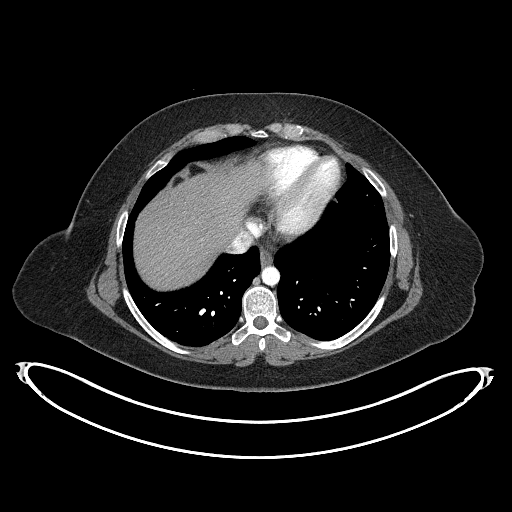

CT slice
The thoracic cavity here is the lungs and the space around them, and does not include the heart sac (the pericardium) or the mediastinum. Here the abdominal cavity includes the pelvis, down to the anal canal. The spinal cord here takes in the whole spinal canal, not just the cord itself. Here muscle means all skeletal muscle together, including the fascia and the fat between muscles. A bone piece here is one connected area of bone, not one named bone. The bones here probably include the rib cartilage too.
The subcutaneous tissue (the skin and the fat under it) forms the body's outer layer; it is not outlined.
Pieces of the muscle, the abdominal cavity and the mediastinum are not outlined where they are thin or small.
The abdominal cavity is outlined by 156 291; 172 291; 189 286; 206 273; 220 254; 241 253; 247 249; 247 240; 253 232; 253 217; 261 205; 255 186; 255 168; 248 153; 250 151; 244 153; 241 150; 218 158; 188 163; 172 176; 138 214; 132 242; 134 264; 144 283. The spinal cord is outlined by 258 328; 262 328; 263 327; 264 327; 267 324; 267 321; 265 319; 265 318; 264 318; 263 317; 262 317; 261 316; 259 316; 258 317; 256 317; 254 319; 254 325; 256 327; 257 327. The muscle is outlined by 235 366; 249 365; 258 358; 270 365; 282 366; 341 352; 407 314; 419 302; 423 292; 415 233; 391 187; 365 159; 348 151; 327 134; 304 125; 308 130; 307 140; 320 141; 358 170; 364 165; 377 174; 388 194; 386 198; 382 198; 388 223; 393 222; 397 228; 398 251; 390 263; 380 294; 387 294; 385 303; 372 324; 356 339; 341 348; 323 350; 308 345; 301 334; 293 330; 295 335; 286 343; 271 334; 266 335; 266 347; 261 351; 256 335; 249 335; 235 346; 230 342; 228 334; 203 347; 186 347; 192 353; 183 355; 169 350; 149 336; 133 318; 123 300; 121 288; 126 286; 126 283; 121 250; 115 244; 116 223; 119 214; 125 208; 130 211; 146 181; 146 171; 166 152; 172 150; 175 153; 195 144; 190 141; 191 137; 205 128; 239 123; 245 128; 245 132; 241 134; 248 135; 248 129; 267 130; 269 124; 261 128; 238 122; 199 127; 156 155; 116 213; 107 251; 85 289; 88 300; 101 312; 158 349; 184 360. The mediastinum appears in 2 outlined pieces: piece 1: 275 293; 276 286; 279 280; 279 272; 273 264; 273 258; 276 252; 281 247; 288 243; 274 243; 265 234; 257 236; 253 233; 248 240; 248 248; 252 245; 258 248; 260 255; 261 270; 258 275; 254 278; 250 286; 264 285; 270 288; piece 2: 334 154; 327 146; 317 141; 306 140; 292 141; 285 140; 276 136; 268 137; 265 139; 253 138; 256 141; 256 144; 253 147; 244 150; 244 152; 247 152; 258 145; 270 141; 298 141; 302 143; 307 143; 318 147; 322 147. The thoracic cavity appears in 2 outlined pieces: piece 1: 319 340; 330 340; 344 334; 366 315; 379 296; 389 265; 388 224; 381 197; 364 176; 347 162; 347 180; 336 193; 337 200; 330 201; 317 223; 306 233; 281 248; 274 258; 274 264; 280 272; 276 295; 282 317; 286 324; 295 331; piece 2: 184 346; 206 345; 235 326; 241 297; 260 270; 258 250; 252 246; 241 254; 222 254; 191 286; 156 292; 143 283; 133 264; 134 221; 188 162; 251 147; 255 141; 247 136; 179 151; 146 182; 129 213; 122 244; 127 287; 148 321. The pericardium is outlined by 274 242; 289 242; 306 232; 319 219; 328 202; 335 198; 334 195; 344 180; 343 166; 335 155; 322 148; 298 142; 270 142; 254 148; 249 153; 256 168; 256 186; 258 187; 258 195; 262 203; 254 217; 254 233; 257 235; 265 233. The bones appear in 9 outlined pieces: piece 1: 261 350; 265 347; 264 336; 268 333; 284 342; 288 341; 294 334; 285 325; 278 311; 275 294; 264 286; 253 286; 249 287; 242 297; 242 313; 236 326; 230 332; 230 339; 233 344; 237 345; 249 334; 256 334; 260 338; 259 348; inner edge: 258 328; 262 328; 263 327; 264 327; 267 324; 267 321; 265 319; 265 318; 264 318; 263 317; 262 317; 261 316; 259 316; 258 317; 256 317; 254 319; 254 325; 256 327; 257 327; piece 2: 323 349; 334 349; 338 347; 341 347; 350 342; 362 333; 371 324; 379 313; 384 303; 386 294; 380 295; 375 304; 367 315; 355 327; 344 335; 336 339; 330 341; 319 341; 318 340; 314 340; 302 334; 305 338; 305 341; 308 344; piece 3: 183 354; 190 354; 191 351; 189 349; 180 346; 175 342; 171 341; 157 331; 143 316; 133 301; 127 288; 124 286; 122 288; 122 293; 123 294; 124 300; 130 312; 143 329; 149 335; 162 345; 167 347; 169 349; piece 4: 292 140; 302 140; 305 139; 307 130; 305 127; 299 124; 272 123; 268 127; 268 130; 267 131; 263 129; 257 129; 256 130; 251 129; 248 130; 248 134; 252 137; 265 138; 268 136; 268 133; 269 132; 273 132; 282 138; 291 139; piece 5: 196 144; 198 143; 209 142; 210 141; 215 141; 216 140; 218 140; 221 138; 223 138; 230 135; 237 135; 244 132; 244 128; 239 124; 226 124; 222 128; 205 129; 200 132; 198 132; 192 137; 191 141; 193 143; 195 143; piece 6: 382 197; 386 197; 387 194; 386 193; 386 190; 385 189; 383 184; 379 179; 379 178; 376 175; 376 174; 373 171; 372 171; 370 169; 369 169; 364 166; 361 167; 361 172; 365 176; 365 177; 371 183; 371 184; 376 189; 376 190; piece 7: 120 249; 121 249; 121 244; 123 239; 123 234; 124 233; 124 230; 125 229; 125 226; 126 225; 126 222; 128 217; 128 211; 126 209; 125 209; 120 214; 118 219; 118 222; 117 223; 117 230; 116 231; 116 244; 117 245; 117 247; piece 8: 146 180; 147 180; 157 171; 158 171; 160 169; 164 167; 168 163; 169 160; 173 156; 174 154; 174 153; 172 151; 170 151; 166 153; 160 159; 156 161; 156 162; 147 171; 145 175; 145 179; piece 9: 390 262; 391 262; 392 261; 392 260; 395 257; 395 255; 396 254; 396 252; 397 251; 397 234; 396 233; 396 228; 395 227; 395 225; 393 223; 392 223; 391 224; 390 224; 389 225; 389 250; 390 251. The torso is outlined by 248 392; 309 389; 359 377; 447 339; 473 313; 474 285; 483 266; 483 249; 475 232; 397 138; 365 113; 327 97; 298 92; 217 93; 180 100; 148 115; 105 156; 68 225; 32 249; 12 286; 14 303; 27 319; 114 360; 176 383.